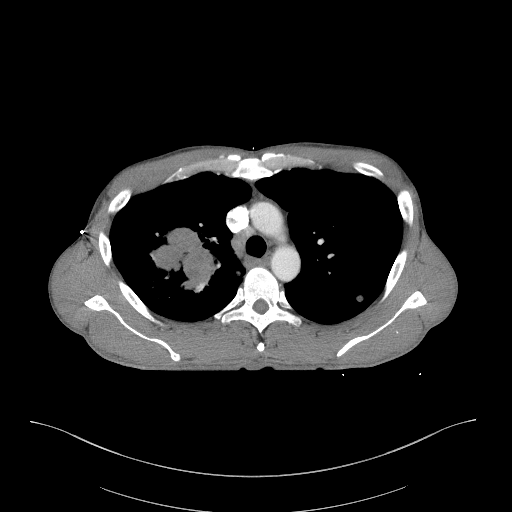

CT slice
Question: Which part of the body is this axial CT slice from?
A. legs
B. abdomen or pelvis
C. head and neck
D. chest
Answer: D. chest
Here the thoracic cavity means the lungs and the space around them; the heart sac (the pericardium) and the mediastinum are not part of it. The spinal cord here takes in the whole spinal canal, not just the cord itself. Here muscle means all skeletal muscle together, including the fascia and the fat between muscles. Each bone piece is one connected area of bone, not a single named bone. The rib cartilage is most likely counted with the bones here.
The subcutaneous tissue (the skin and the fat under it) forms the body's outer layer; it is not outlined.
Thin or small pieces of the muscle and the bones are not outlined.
Outlined structures:
bones 1: 256 266; 266 268; 283 288; 286 299; 294 311; 303 317; 302 322; 299 326; 294 326; 283 320; 276 320; 268 324; 260 334; 251 323; 245 320; 232 320; 228 323; 223 324; 218 319; 212 317; 234 297; 238 287; 243 281; 245 273, around a hole outlined by 259 299; 261 299; 262 300; 263 300; 267 304; 267 309; 264 312; 263 312; 262 313; 259 313; 258 312; 257 312; 253 308; 253 305; 254 304; 254 303; 257 300; 258 300
bones 2: 266 151; 275 153; 281 152; 312 159; 322 166; 322 168; 319 169; 298 166; 289 167; 258 179; 231 177; 222 172; 203 170; 183 179; 162 183; 178 168; 194 162; 216 158; 220 154; 226 155; 229 153; 237 153; 242 157; 260 157
bones 3: 96 294; 103 296; 109 305; 118 312; 131 327; 149 337; 158 338; 166 342; 174 351; 179 353; 180 360; 179 361; 173 360; 169 352; 163 346; 154 341; 142 338; 126 328; 108 310; 104 309; 97 311; 86 306; 84 302; 88 298
bones 4: 416 290; 420 291; 425 297; 427 301; 425 304; 415 308; 407 308; 405 309; 390 324; 380 330; 377 333; 353 345; 340 356; 338 357; 336 356; 336 353; 338 350; 350 339; 357 336; 365 335; 385 323; 400 308; 404 301
bones 5: 119 279; 122 279; 131 288; 131 289; 147 306; 147 307; 152 312; 153 312; 154 315; 163 322; 164 325; 161 326; 151 321; 149 319; 142 315; 139 312; 138 312; 128 302; 128 301; 122 294; 119 288; 119 286; 117 282; 117 281
bones 6: 402 248; 405 248; 407 250; 407 256; 405 260; 405 263; 404 264; 403 269; 396 283; 394 285; 386 298; 383 301; 380 302; 380 298; 382 295; 382 292; 383 291; 383 289; 384 288; 387 277; 389 274; 389 272; 400 249
bones 7: 402 189; 407 189; 409 191; 411 196; 411 199; 412 200; 412 204; 413 205; 413 221; 411 226; 409 226; 407 224; 404 223; 403 219; 401 216; 401 213; 400 212; 399 206; 398 205; 398 202; 397 201; 397 197; 396 196; 398 192
bones 8: 127 187; 128 187; 131 189; 131 196; 130 197; 129 200; 126 203; 126 204; 113 216; 111 214; 108 213; 108 212; 107 211; 107 210; 108 209; 108 206; 110 203; 110 201; 114 197; 114 196; 120 190; 121 190; 124 188; 126 188
bones 9: 355 161; 362 161; 366 163; 369 163; 375 166; 377 168; 378 168; 383 173; 383 177; 384 178; 384 181; 385 182; 383 182; 372 176; 368 176; 367 175; 365 175; 364 174; 362 174; 361 173; 356 172; 352 166; 352 163
bones 10: 100 230; 102 230; 107 235; 108 235; 108 237; 109 238; 109 242; 110 243; 110 248; 111 249; 111 255; 112 256; 112 262; 109 267; 106 266; 106 265; 104 263; 104 262; 102 259; 101 254; 99 251; 99 246; 98 245; 98 233
torso: 293 141; 380 150; 396 160; 415 185; 426 231; 449 260; 458 280; 451 312; 416 347; 378 365; 343 370; 282 371; 265 367; 257 371; 146 371; 104 359; 57 318; 47 293; 51 267; 79 236; 97 195; 118 170; 189 145; 258 149
spinal cord: 259 299; 261 299; 262 300; 263 300; 267 304; 267 309; 264 312; 263 312; 262 313; 259 313; 258 312; 257 312; 253 308; 253 305; 254 304; 254 303; 257 300; 258 300
mediastinum: 239 178; 257 180; 255 182; 257 189; 288 211; 289 234; 299 254; 301 267; 297 276; 291 281; 286 282; 283 287; 264 266; 256 265; 245 272; 244 267; 231 246; 232 232; 226 225; 226 214; 232 208; 247 201; 251 195; 251 187
thoracic cavity 1: 297 167; 355 172; 384 183; 396 197; 403 222; 400 248; 388 272; 381 293; 361 312; 336 323; 320 323; 308 319; 297 313; 287 299; 284 285; 294 280; 302 267; 300 254; 290 234; 289 211; 256 186; 259 179; 272 176; 284 169
thoracic cavity 2: 203 171; 238 178; 250 187; 248 199; 229 209; 224 218; 225 225; 231 232; 230 246; 243 267; 244 274; 233 297; 219 310; 204 319; 182 321; 152 311; 123 279; 113 261; 109 233; 113 217; 132 196; 161 184; 183 180
muscle: 287 146; 371 151; 391 161; 411 187; 419 232; 447 264; 454 292; 443 315; 409 346; 362 363; 284 364; 261 356; 229 367; 165 368; 105 352; 60 314; 51 290; 54 270; 73 246; 89 239; 112 182; 132 166; 204 148; 260 156; 220 153; 178 167; 146 191; 132 195; 124 187; 109 201; 112 219; 108 234; 97 233; 98 251; 106 267; 113 262; 122 277; 118 288; 138 313; 161 327; 165 324; 154 313; 182 322; 241 320; 261 335; 276 321; 294 327; 304 318; 336 324; 381 294; 383 302; 408 256; 401 244; 404 224; 414 221; 410 191; 402 188; 396 195; 369 162; 355 160; 353 172; 339 171; 309 157; 267 150; inner edges: 96 294; 103 296; 109 305; 118 312; 131 327; 149 337; 158 338; 166 342; 174 351; 179 353; 180 360; 179 361; 173 360; 169 352; 163 346; 154 341; 142 338; 126 328; 108 310; 104 309; 97 311; 86 306; 84 302; 88 298, then 416 290; 420 291; 425 297; 427 301; 425 304; 415 308; 407 308; 405 309; 390 324; 380 330; 377 333; 353 345; 340 356; 338 357; 336 356; 336 353; 338 350; 350 339; 357 336; 365 335; 385 323; 400 308; 404 301, then 259 341; 262 341; 263 342; 263 343; 264 344; 264 349; 262 351; 259 351; 257 349; 257 348; 256 347; 256 346; 257 345; 257 344; 259 342